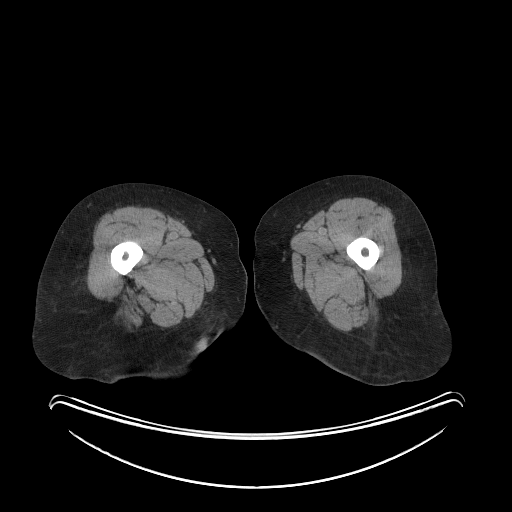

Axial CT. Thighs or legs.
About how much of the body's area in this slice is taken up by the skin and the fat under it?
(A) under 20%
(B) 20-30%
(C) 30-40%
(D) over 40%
(D) over 40%
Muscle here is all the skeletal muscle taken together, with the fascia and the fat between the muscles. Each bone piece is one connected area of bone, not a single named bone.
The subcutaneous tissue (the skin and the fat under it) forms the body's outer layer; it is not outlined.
{"bones":[[[125,240],[133,240],[137,242],[142,248],[142,250],[143,251],[143,255],[140,259],[140,260],[127,274],[125,275],[122,275],[118,272],[117,272],[111,266],[111,264],[110,263],[110,252],[111,251],[111,249],[115,245]],[[359,236],[364,236],[365,237],[367,237],[373,240],[379,246],[379,257],[375,264],[371,268],[371,269],[369,270],[364,270],[358,265],[357,265],[355,263],[355,262],[353,261],[347,255],[347,253],[346,252],[346,246],[347,244],[352,240]]],"right_leg":[[[124,182],[160,184],[198,197],[226,214],[238,233],[239,254],[247,273],[243,315],[235,327],[221,334],[206,348],[189,374],[176,380],[159,382],[131,377],[106,383],[88,378],[71,379],[45,367],[32,347],[37,282],[59,226],[83,197],[102,187]]],"left_leg":[[[341,174],[366,174],[389,181],[413,200],[428,225],[437,256],[439,300],[453,336],[453,349],[449,360],[430,377],[391,385],[371,385],[355,380],[284,342],[271,330],[257,306],[253,287],[252,261],[254,232],[260,218],[270,206],[287,194],[317,180]]],"muscle":[{"outer":[[127,205],[152,207],[183,220],[203,246],[205,256],[213,270],[215,278],[213,290],[205,295],[201,308],[189,323],[177,329],[170,329],[165,333],[128,332],[120,329],[114,322],[115,308],[95,298],[86,287],[89,256],[93,248],[94,225],[106,212]],"hole":[[125,240],[133,240],[137,242],[142,248],[142,250],[143,251],[143,255],[140,259],[140,260],[127,274],[125,275],[122,275],[118,272],[117,272],[111,266],[111,264],[110,263],[110,252],[111,251],[111,249],[115,245]]},{"outer":[[345,197],[366,197],[391,210],[395,217],[394,227],[402,256],[403,273],[401,284],[385,300],[381,310],[381,324],[378,334],[374,339],[368,341],[342,335],[320,320],[309,299],[296,287],[292,278],[290,239],[300,229],[300,225],[316,212]],"hole":[[359,236],[364,236],[365,237],[367,237],[373,240],[379,246],[379,257],[375,264],[371,268],[371,269],[369,270],[364,270],[358,265],[357,265],[355,263],[355,262],[353,261],[347,255],[347,253],[346,252],[346,246],[347,244],[352,240]]}]}